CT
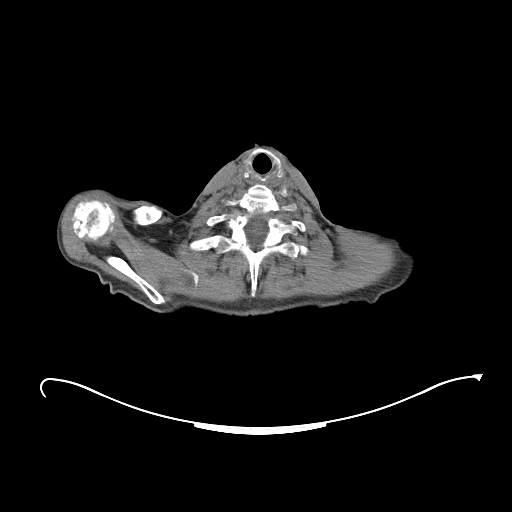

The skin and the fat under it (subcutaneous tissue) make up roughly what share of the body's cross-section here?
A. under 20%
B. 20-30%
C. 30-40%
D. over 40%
Answer: A. under 20%
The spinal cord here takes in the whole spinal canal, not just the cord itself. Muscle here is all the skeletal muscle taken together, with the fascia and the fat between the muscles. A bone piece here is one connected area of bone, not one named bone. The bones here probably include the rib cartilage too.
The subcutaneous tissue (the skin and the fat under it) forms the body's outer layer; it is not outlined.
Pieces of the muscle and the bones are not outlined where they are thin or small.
The muscle is outlined by [[266,148],[279,153],[303,178],[323,227],[373,235],[397,247],[403,257],[391,281],[335,296],[217,303],[177,294],[163,304],[165,297],[121,256],[107,254],[105,261],[146,297],[66,253],[61,221],[78,196],[100,192],[144,204],[131,211],[132,221],[142,227],[155,223],[164,211],[176,219],[189,218],[214,177],[250,151],[239,174],[249,186],[239,198],[225,201],[235,208],[205,221],[211,227],[224,223],[230,234],[196,238],[188,247],[214,249],[217,254],[239,252],[247,262],[253,298],[266,257],[279,253],[296,258],[309,252],[302,243],[283,240],[306,226],[298,219],[285,219],[283,213],[295,212],[297,204],[276,198],[271,188],[283,184],[286,174],[281,160]] with holes at [[86,199],[88,200],[98,199],[101,201],[108,203],[115,215],[115,219],[112,224],[113,227],[112,229],[109,230],[103,236],[100,237],[95,241],[90,241],[85,238],[80,238],[78,237],[74,232],[72,227],[72,220],[71,218],[75,206],[79,201]] and at [[191,272],[195,272],[197,274],[197,275],[198,276],[198,281],[197,282],[197,284],[196,285],[195,285],[195,284],[194,283],[194,281],[193,280],[193,278],[192,277],[192,275],[191,274]] and at [[283,186],[284,186],[284,187],[286,189],[286,190],[287,191],[287,192],[288,193],[288,195],[287,196],[283,196],[280,193],[280,191],[281,190],[281,189],[283,187]]. The torso is outlined by [[255,142],[271,144],[287,156],[305,176],[331,222],[399,239],[416,258],[415,269],[403,285],[374,304],[306,307],[255,317],[196,309],[163,314],[122,294],[110,293],[95,273],[76,267],[95,263],[117,242],[128,199],[147,199],[180,214],[218,169]]. The bones appear in 5 outlined pieces: piece 1: [[256,183],[270,188],[280,204],[296,204],[283,217],[302,222],[305,230],[286,233],[282,240],[308,252],[266,256],[253,297],[248,262],[239,251],[194,250],[189,243],[229,236],[224,222],[211,226],[207,219],[231,212],[236,207],[226,201],[239,199]]; inner edge: [[269,213],[270,214],[266,219],[266,224],[267,225],[267,228],[268,230],[263,239],[263,241],[261,243],[261,248],[258,250],[253,250],[248,243],[248,239],[247,238],[247,235],[245,231],[245,227],[249,222],[250,219],[254,215],[256,214],[268,214]]; piece 2: [[86,199],[88,200],[98,199],[101,201],[108,203],[115,215],[115,219],[112,224],[113,227],[112,229],[109,230],[103,236],[100,237],[95,241],[90,241],[85,238],[80,238],[78,237],[74,232],[72,227],[72,220],[71,218],[75,206],[79,201]]; piece 3: [[107,255],[115,255],[116,256],[121,257],[124,259],[135,272],[136,272],[141,277],[152,285],[164,297],[165,299],[165,302],[162,304],[156,304],[152,302],[148,298],[146,294],[140,288],[138,284],[135,281],[109,264],[106,261],[105,257]]; piece 4: [[145,204],[155,204],[163,209],[163,213],[159,218],[159,219],[158,219],[155,222],[151,224],[149,224],[148,225],[142,226],[141,225],[138,225],[136,224],[133,221],[133,219],[132,218],[133,216],[132,215],[132,211],[135,208],[137,208]]; piece 5: [[257,147],[262,147],[271,151],[280,160],[281,166],[284,173],[282,176],[280,177],[278,176],[278,168],[276,163],[273,161],[273,159],[267,153],[263,151],[260,151],[253,155],[250,158],[250,163],[245,163],[244,162],[248,158],[251,151],[254,148]]. The spinal cord is outlined by [[269,213],[270,214],[266,219],[266,224],[267,225],[267,228],[268,230],[263,239],[263,241],[261,243],[261,248],[258,250],[253,250],[248,243],[248,239],[247,238],[247,235],[245,231],[245,227],[249,222],[250,219],[254,215],[256,214],[268,214]]. The right arm is outlined by [[88,188],[102,188],[108,190],[110,192],[120,197],[127,198],[127,210],[126,211],[126,215],[125,216],[121,234],[116,242],[107,252],[102,257],[93,263],[73,266],[68,263],[62,257],[58,249],[56,243],[56,223],[60,211],[67,200],[75,193]]. The central area in front of the spine is outlined by [[260,152],[267,154],[272,159],[272,161],[275,163],[277,168],[278,177],[280,178],[285,174],[285,179],[283,183],[280,185],[274,185],[269,187],[264,183],[260,182],[256,182],[251,185],[248,185],[240,179],[240,174],[244,164],[250,164],[251,158]].